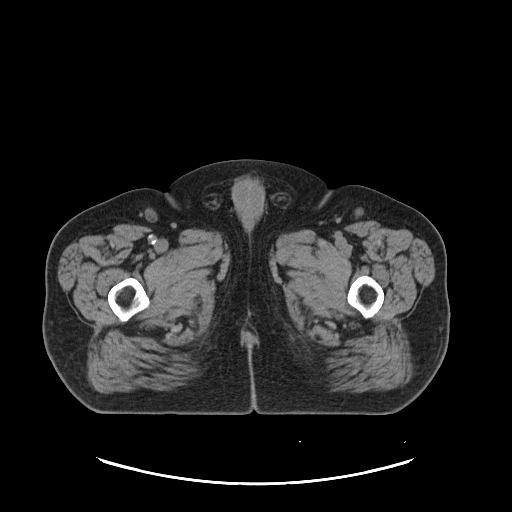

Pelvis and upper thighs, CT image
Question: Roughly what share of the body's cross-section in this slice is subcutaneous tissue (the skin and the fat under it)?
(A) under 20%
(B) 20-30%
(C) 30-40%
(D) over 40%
Answer: (D) over 40%
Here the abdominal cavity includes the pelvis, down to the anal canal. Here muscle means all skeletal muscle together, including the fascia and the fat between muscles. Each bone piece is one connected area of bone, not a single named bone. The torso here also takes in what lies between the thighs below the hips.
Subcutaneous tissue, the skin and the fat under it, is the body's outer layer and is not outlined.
The bones appear in 2 outlined pieces: piece 1: [[127,277],[133,277],[139,281],[139,282],[143,286],[147,295],[149,297],[150,302],[149,303],[149,305],[146,308],[141,311],[139,311],[133,315],[127,321],[122,322],[120,321],[118,317],[111,309],[107,300],[107,295],[110,288],[114,284]]; piece 2: [[361,275],[369,275],[372,277],[381,286],[384,292],[384,298],[383,299],[383,302],[382,303],[381,307],[372,317],[368,318],[367,319],[366,318],[364,318],[360,312],[351,306],[347,301],[347,293],[348,292],[348,289],[350,286],[350,284],[357,277]]. The muscle appears in 3 outlined pieces: piece 1: [[108,218],[130,219],[173,233],[186,228],[209,225],[222,230],[230,241],[231,263],[203,348],[202,374],[199,382],[190,389],[178,391],[145,390],[125,394],[105,394],[94,390],[87,383],[88,330],[69,304],[58,281],[57,268],[63,250],[84,228]] with a hole at [[127,277],[133,277],[139,281],[139,282],[143,286],[147,295],[149,297],[150,302],[149,303],[149,305],[146,308],[141,311],[139,311],[133,315],[127,321],[122,322],[120,321],[118,317],[111,309],[107,300],[107,295],[110,288],[114,284]]; piece 2: [[370,217],[390,217],[409,222],[427,240],[433,255],[434,278],[407,317],[405,326],[416,365],[415,374],[406,385],[391,391],[365,395],[329,391],[325,385],[322,357],[314,347],[297,337],[273,280],[269,266],[271,237],[284,227],[311,225],[324,228]] with a hole at [[361,275],[369,275],[372,277],[381,286],[384,292],[384,298],[383,299],[383,302],[382,303],[381,307],[372,317],[368,318],[367,319],[366,318],[364,318],[360,312],[351,306],[347,301],[347,293],[348,292],[348,289],[350,286],[350,284],[357,277]]; piece 3: [[246,325],[249,325],[253,327],[255,329],[255,330],[258,334],[258,337],[260,341],[259,342],[259,344],[256,348],[256,350],[250,350],[249,349],[244,349],[239,344],[239,340],[240,339],[240,332],[241,331],[241,329],[244,326]] with a hole at [[246,330],[249,330],[253,334],[253,338],[254,339],[253,340],[253,343],[252,343],[251,344],[251,345],[249,345],[246,342],[246,340],[245,339],[245,338],[244,337],[244,335],[245,334],[245,332],[246,331]]. The abdominal cavity is outlined by [[246,330],[249,330],[253,334],[253,338],[254,339],[253,340],[253,343],[252,343],[251,344],[251,345],[249,345],[246,342],[246,340],[245,339],[245,338],[244,337],[244,335],[245,334],[245,332],[246,331]]. The left leg is outlined by [[344,184],[358,184],[373,188],[417,209],[440,233],[447,255],[447,293],[450,307],[446,353],[437,372],[421,394],[409,405],[391,414],[259,414],[254,411],[252,362],[262,342],[249,313],[251,289],[248,258],[252,251],[281,233],[324,200],[333,187]]. The right leg is outlined by [[143,187],[165,191],[178,207],[218,228],[244,248],[249,261],[250,305],[238,336],[241,346],[251,361],[253,392],[253,411],[246,415],[97,413],[82,405],[70,393],[58,376],[46,353],[42,336],[45,262],[54,235],[66,221],[84,209],[125,191]]. The torso appears in 2 outlined pieces: piece 1: [[241,158],[264,159],[297,165],[314,172],[324,179],[332,187],[324,199],[281,232],[265,242],[263,242],[252,250],[248,257],[244,247],[218,227],[178,206],[166,191],[168,186],[176,178],[194,168],[216,161],[221,161],[228,159],[240,159]]; piece 2: [[248,314],[249,314],[251,319],[253,321],[256,327],[256,329],[257,330],[257,332],[258,333],[258,335],[259,336],[259,338],[261,342],[261,345],[259,348],[259,350],[252,361],[250,357],[246,352],[245,349],[242,346],[241,340],[239,336],[239,332]].